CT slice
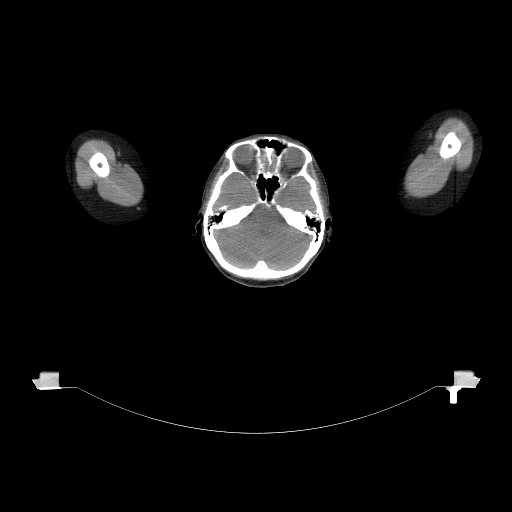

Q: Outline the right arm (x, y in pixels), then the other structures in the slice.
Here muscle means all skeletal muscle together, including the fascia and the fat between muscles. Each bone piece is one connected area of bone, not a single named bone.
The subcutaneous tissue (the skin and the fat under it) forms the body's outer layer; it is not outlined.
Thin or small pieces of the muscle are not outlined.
A: Outlines:
right arm: [[91,128],[102,128],[110,131],[113,131],[125,138],[137,151],[148,172],[153,188],[153,203],[149,212],[143,218],[123,225],[107,225],[92,218],[83,209],[75,197],[68,182],[66,175],[66,171],[65,170],[65,155],[67,148],[72,139],[80,132]]
bones 1: [[264,136],[275,136],[296,143],[306,148],[312,155],[312,161],[308,165],[307,169],[309,174],[315,180],[318,188],[318,193],[322,204],[323,214],[325,217],[325,228],[323,232],[322,241],[316,253],[299,271],[277,279],[259,280],[237,276],[224,269],[218,263],[213,254],[207,247],[205,242],[203,234],[203,213],[206,208],[206,205],[214,183],[228,166],[228,160],[224,155],[225,151],[234,143],[247,139],[260,138]] with holes at [[258,206],[264,206],[266,208],[273,207],[286,224],[309,236],[307,247],[299,259],[291,265],[283,268],[275,268],[270,266],[265,260],[258,259],[251,266],[241,266],[231,262],[225,257],[218,240],[216,238],[216,232],[218,230],[229,228],[239,224]] and at [[232,174],[238,174],[240,176],[246,178],[247,181],[249,183],[249,185],[253,191],[253,196],[254,197],[253,201],[249,203],[243,203],[233,207],[230,207],[226,203],[222,203],[216,205],[216,203],[221,194],[222,187],[224,182],[227,178]] and at [[296,178],[302,178],[307,183],[308,185],[308,194],[313,203],[313,208],[312,209],[308,207],[305,207],[303,209],[295,209],[290,206],[286,206],[285,205],[282,205],[278,201],[278,198],[280,196],[282,192],[287,187],[289,182],[291,180],[293,180]] and at [[242,145],[249,145],[255,150],[255,173],[254,174],[253,177],[252,177],[251,178],[248,177],[246,175],[245,172],[237,166],[237,165],[234,161],[234,159],[233,158],[233,153],[236,149],[236,148],[237,148]] and at [[291,147],[293,148],[295,148],[296,149],[298,149],[302,153],[303,155],[303,162],[300,168],[296,172],[294,172],[292,173],[288,178],[285,178],[283,176],[281,172],[281,167],[282,166],[282,157],[283,155],[287,151],[288,148],[290,148]] and at [[260,176],[261,176],[265,180],[272,179],[274,177],[275,177],[276,178],[276,181],[278,184],[277,187],[274,188],[271,191],[269,191],[269,190],[265,187],[262,189],[260,189],[260,188],[258,187],[257,185],[257,183],[258,182],[258,180]] and at [[262,140],[266,140],[270,142],[271,141],[276,141],[277,142],[279,142],[283,145],[285,145],[285,146],[283,146],[279,150],[278,150],[274,146],[272,146],[271,145],[268,145],[267,144],[265,144],[264,145],[260,145],[258,143],[258,142]]
bones 2: [[450,131],[453,131],[461,140],[462,143],[461,144],[461,146],[458,152],[456,154],[448,158],[442,158],[440,156],[440,154],[439,153],[439,148],[440,147],[440,145],[442,142],[442,140],[444,136],[448,132]]
bones 3: [[97,151],[99,151],[103,154],[104,154],[104,155],[106,157],[106,158],[107,159],[107,161],[109,164],[110,171],[109,172],[109,174],[106,177],[100,177],[99,176],[98,176],[96,174],[96,173],[91,168],[91,167],[88,162],[90,157]]
head: [[253,133],[280,133],[302,142],[315,158],[329,194],[329,210],[332,218],[330,242],[325,245],[302,277],[278,290],[244,286],[226,278],[216,269],[202,247],[201,226],[197,226],[196,234],[192,235],[194,224],[199,218],[197,213],[210,171],[235,140]], around holes outlined by [[260,176],[261,176],[265,180],[272,179],[274,177],[275,177],[276,178],[276,181],[278,184],[277,187],[274,188],[271,191],[269,191],[269,190],[265,187],[262,189],[260,189],[260,188],[258,187],[257,185],[257,183],[258,182],[258,180]] and by [[262,140],[266,140],[270,142],[271,141],[276,141],[282,144],[283,146],[279,150],[278,150],[274,146],[272,146],[271,145],[268,145],[267,144],[265,144],[264,145],[260,145],[258,143],[258,142]]
muscle 1: [[449,116],[457,116],[463,119],[466,122],[471,131],[474,139],[474,150],[471,164],[467,169],[461,172],[458,172],[437,193],[425,198],[410,198],[406,195],[403,186],[404,176],[407,168],[412,161],[415,153],[419,148],[429,130],[438,125],[444,119]]; inner edge: [[450,131],[453,131],[461,140],[462,143],[461,144],[461,146],[458,152],[456,154],[448,158],[442,158],[440,156],[440,154],[439,153],[439,148],[440,147],[440,145],[442,142],[442,140],[444,136],[448,132]]
muscle 2: [[96,136],[99,136],[106,140],[108,140],[120,149],[128,159],[131,166],[139,174],[144,186],[144,193],[141,201],[137,205],[132,207],[120,207],[97,198],[86,190],[84,190],[78,186],[75,179],[75,169],[74,168],[74,161],[77,149],[86,139]]; inner edge: [[97,151],[99,151],[103,154],[104,154],[104,155],[106,157],[106,158],[107,159],[107,161],[109,164],[110,171],[109,172],[109,174],[106,177],[100,177],[99,176],[98,176],[96,174],[96,173],[91,168],[91,167],[88,162],[90,157]]
muscle 3: [[311,163],[312,164],[312,167],[313,169],[317,174],[321,182],[322,189],[324,192],[325,208],[326,209],[326,215],[325,216],[324,214],[323,204],[322,203],[322,200],[319,193],[319,188],[317,185],[317,182],[310,174],[308,169],[309,165]]
muscle 4: [[225,160],[227,161],[227,166],[226,168],[217,177],[217,178],[213,183],[211,187],[210,193],[209,194],[208,199],[206,202],[204,210],[204,204],[205,203],[205,200],[206,199],[207,189],[209,186],[210,181],[214,176],[215,173],[223,164]]
brain 1: [[258,206],[264,206],[266,208],[273,207],[286,224],[309,236],[307,247],[299,259],[291,265],[283,268],[275,268],[270,266],[265,260],[258,259],[251,266],[241,266],[231,262],[225,257],[218,240],[216,238],[216,232],[218,230],[229,228],[239,224]]
brain 2: [[232,174],[238,174],[240,176],[246,178],[247,181],[249,183],[249,185],[253,191],[253,196],[254,197],[253,201],[249,203],[243,203],[233,207],[230,207],[226,203],[222,203],[216,205],[216,203],[221,194],[222,187],[224,182],[227,178]]
brain 3: [[296,178],[302,178],[307,183],[308,185],[308,194],[313,203],[313,208],[312,209],[308,207],[305,207],[303,209],[295,209],[290,206],[286,206],[285,205],[282,205],[278,201],[278,198],[280,196],[282,192],[287,187],[289,182],[291,180],[293,180]]
left arm: [[448,107],[461,108],[468,113],[478,129],[482,138],[481,155],[467,188],[462,197],[457,203],[450,209],[436,217],[422,218],[414,216],[406,212],[400,206],[396,199],[394,191],[394,184],[396,175],[409,143],[420,125],[426,118],[434,112],[440,109]]